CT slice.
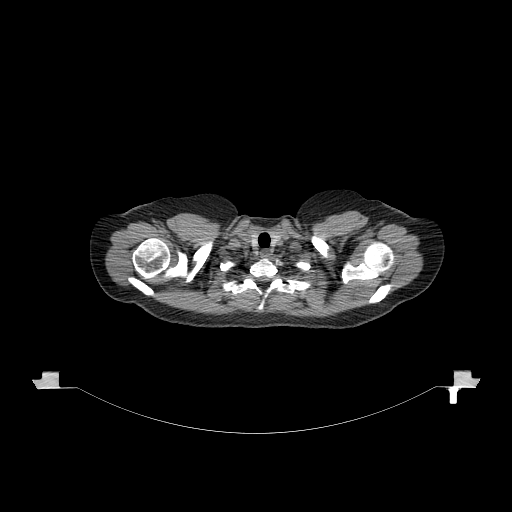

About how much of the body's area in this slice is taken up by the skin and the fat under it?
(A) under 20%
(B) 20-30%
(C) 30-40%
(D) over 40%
Answer: (C) 30-40%
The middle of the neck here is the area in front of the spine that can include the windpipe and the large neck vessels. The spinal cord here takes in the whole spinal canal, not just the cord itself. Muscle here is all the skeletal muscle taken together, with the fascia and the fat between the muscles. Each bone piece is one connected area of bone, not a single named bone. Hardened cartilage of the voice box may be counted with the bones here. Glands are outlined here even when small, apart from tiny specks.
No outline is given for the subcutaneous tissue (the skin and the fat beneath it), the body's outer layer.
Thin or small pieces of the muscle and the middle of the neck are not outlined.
The right arm is outlined by 165,196 166,196 167,203 167,219 173,250 163,275 150,298 139,305 136,306 134,304 126,304 116,301 108,296 103,291 97,282 91,268 89,259 89,238 92,227 95,222 101,216 105,214 124,212 134,206. The torso is outlined by 334,188 351,189 368,199 375,199 356,226 354,254 368,273 403,303 387,314 344,329 288,326 211,328 166,322 138,307 151,298 174,250 167,196 216,193 231,200 240,214 276,217 294,215 307,198 319,191. The spinal cord is outlined by 262,276 265,276 266,277 267,277 270,279 270,281 269,282 269,283 267,285 267,286 264,288 262,288 261,287 260,287 258,285 258,284 256,281 256,279 257,278 258,278 259,277 261,277. The muscle is outlined by 347,210 417,234 424,264 408,284 389,294 391,282 378,284 367,305 332,316 204,314 150,297 155,291 145,280 158,275 191,282 207,260 213,239 195,250 190,266 178,247 177,261 171,265 168,245 160,237 145,238 131,253 141,277 128,276 132,286 118,285 105,267 110,234 139,220 189,212 227,229 244,218 261,225 288,219 304,229 with holes at 256,230 271,230 284,236 285,250 268,258 285,262 278,268 282,275 311,283 305,290 292,294 274,289 261,311 257,310 261,296 254,289 233,294 222,288 226,281 240,281 249,266 260,258 243,245 244,238 and at 373,241 381,241 387,244 392,249 395,256 393,265 377,278 374,278 370,280 352,279 347,283 343,283 341,278 341,271 343,265 347,261 349,261 354,266 358,265 362,261 363,258 362,254 364,250 and at 313,234 315,234 320,238 323,239 327,243 327,244 329,246 329,249 328,250 328,254 329,255 329,257 328,257 327,258 324,257 314,247 314,246 312,244 312,243 311,242 311,240 310,239 311,236 and at 227,260 229,260 230,261 232,261 233,262 235,262 236,263 236,265 234,267 233,267 230,270 224,272 223,271 222,271 220,269 220,268 219,267 219,264 220,263 220,262 221,262 222,261 226,261 and at 300,260 303,260 304,261 307,261 310,264 310,265 311,266 310,267 310,269 309,270 307,270 306,271 303,271 302,270 301,270 299,268 297,268 295,266 294,266 293,265 293,264 294,263 295,263. The middle of the neck is outlined by 260,230 268,230 270,236 269,245 271,247 275,247 280,244 282,242 282,236 284,236 287,239 285,250 279,255 259,257 244,249 243,241 244,238 248,235 251,247 255,249 259,246 258,236. The bones appear in 7 outlined pieces: piece 1: 153,237 167,245 171,266 178,261 177,248 185,253 191,267 196,250 210,240 213,245 191,281 185,282 181,277 166,279 158,274 144,280 154,291 153,296 147,296 128,277 142,278 135,270 132,253 142,241; piece 2: 263,257 273,262 276,259 285,262 278,268 282,275 309,281 310,286 305,290 295,290 292,294 274,289 266,298 261,311 257,310 261,296 254,289 236,294 225,291 222,288 224,282 234,279 240,281 249,266 with a hole at 262,276 265,276 266,277 267,277 270,279 270,281 269,282 269,283 267,285 267,286 264,288 262,288 261,287 260,287 258,285 258,284 256,281 256,279 257,278 258,278 259,277 261,277; piece 3: 373,241 381,241 387,244 392,249 395,256 393,265 377,278 374,278 370,280 352,279 347,283 343,283 341,278 341,271 343,265 347,261 349,261 354,266 358,265 362,261 363,258 362,254 364,250; piece 4: 386,283 391,283 393,285 391,287 391,288 388,292 387,295 380,301 379,301 376,303 369,304 368,303 368,299 373,293 373,292 375,290 375,289 377,287 377,286 378,285 380,285 381,284 385,284; piece 5: 313,234 315,234 320,238 323,239 327,243 327,244 329,246 329,249 328,250 328,254 329,255 329,257 328,257 327,258 324,257 314,247 314,246 312,244 312,243 311,242 311,240 310,239 311,236; piece 6: 227,260 229,260 230,261 232,261 233,262 235,262 236,263 236,265 234,267 233,267 230,270 224,272 223,271 222,271 220,269 220,268 219,267 219,264 220,263 220,262 221,262 222,261 226,261; piece 7: 300,260 303,260 304,261 307,261 310,264 310,265 311,266 310,267 310,269 309,270 307,270 306,271 303,271 302,270 301,270 299,268 297,268 295,266 294,266 293,265 293,264 294,263 295,263. The thyroid glands appear in 2 outlined pieces: piece 1: 271,230 272,231 275,231 276,232 279,232 281,234 281,242 280,243 279,243 277,245 276,245 275,246 271,246 270,245 270,243 271,242 271,236 270,235 270,232 269,231 270,231; piece 2: 256,230 258,230 259,231 258,232 258,235 257,236 257,243 258,244 258,246 257,247 256,247 255,248 254,248 253,247 252,247 252,246 250,243 250,240 249,239 249,234 251,232 252,232 253,231 255,231. The left arm is outlined by 376,199 378,199 393,207 395,207 411,216 425,216 429,217 435,220 439,224 443,232 445,251 444,252 443,261 437,275 432,283 423,292 416,297 405,302 403,302 395,292 374,278 369,273 355,254 357,226.